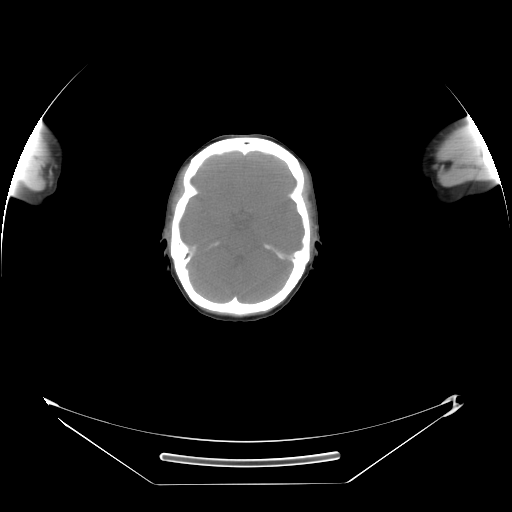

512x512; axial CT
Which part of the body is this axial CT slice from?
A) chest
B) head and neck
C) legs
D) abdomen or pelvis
B) head and neck
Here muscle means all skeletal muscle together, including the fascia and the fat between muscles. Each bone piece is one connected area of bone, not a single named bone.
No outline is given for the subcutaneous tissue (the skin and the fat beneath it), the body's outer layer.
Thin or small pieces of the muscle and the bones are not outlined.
left arm: 467,114 474,122 487,146 497,170 501,185 498,184 485,193 468,196 451,204 447,205 440,204 436,200 432,192 430,181 427,178 424,179 420,173 418,166 419,154 426,140 436,130 448,122 457,118 466,116
right arm: 40,122 43,123 45,122 51,126 61,139 66,154 66,167 63,175 59,180 56,191 47,199 45,204 39,207 34,207 20,200 15,199 11,196 10,197 9,196 8,198 8,193 15,168 24,146 35,126
head: 229,133 262,133 283,142 308,167 317,204 322,243 316,245 318,257 313,264 314,269 309,272 287,305 273,315 255,321 216,320 191,307 170,273 165,270 163,259 165,242 159,242 168,195 179,167 205,142
muscle 1: 467,114 474,122 487,146 487,148 497,170 501,185 498,184 495,186 486,184 478,185 471,182 463,186 453,187 452,188 443,188 436,182 432,170 434,148 443,138 443,136 451,128 465,119 464,116 466,116
muscle 2: 35,126 38,127 46,135 51,142 51,147 57,164 57,169 53,173 53,185 52,187 50,189 47,189 45,191 39,193 32,193 29,191 29,190 23,184 13,176 20,155 30,134 34,129
muscle 3: 301,164 304,167 309,178 310,197 314,210 315,238 312,242 311,246 312,247 311,248 312,249 311,250 312,256 310,260 310,256 311,255 311,245 310,244 311,222 306,201 303,196 304,184 305,183 305,175
muscle 4: 187,164 182,176 182,186 183,187 183,191 177,199 173,208 173,213 170,222 170,241 169,244 169,242 166,237 166,229 167,228 167,223 168,222 168,215 169,214 170,202 178,177 182,169 185,165
brain: 231,152 243,156 259,152 285,164 294,179 287,195 295,205 302,228 300,246 288,256 292,267 281,287 252,302 241,301 235,295 216,301 200,293 187,267 196,247 181,236 187,205 199,192 192,179 207,160
bones: 239,136 261,137 271,140 284,147 297,158 304,175 302,196 310,222 309,260 296,285 273,308 242,316 210,311 194,303 184,290 176,274 170,255 171,222 174,208 184,191 183,176 191,158 204,147 215,141, around a hole outlined by 231,152 243,156 259,152 285,164 294,179 287,195 295,205 302,228 300,246 288,256 292,267 281,287 252,302 241,301 235,295 216,301 200,293 187,267 196,247 181,236 187,205 199,192 192,179 207,160